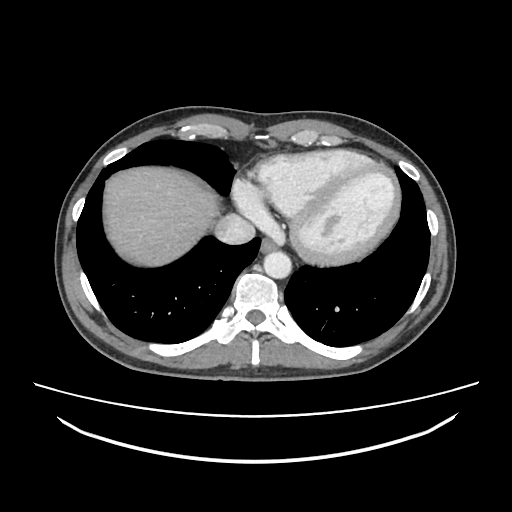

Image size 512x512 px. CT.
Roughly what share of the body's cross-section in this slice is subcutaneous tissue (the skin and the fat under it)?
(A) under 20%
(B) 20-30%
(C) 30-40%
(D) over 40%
(A) under 20%
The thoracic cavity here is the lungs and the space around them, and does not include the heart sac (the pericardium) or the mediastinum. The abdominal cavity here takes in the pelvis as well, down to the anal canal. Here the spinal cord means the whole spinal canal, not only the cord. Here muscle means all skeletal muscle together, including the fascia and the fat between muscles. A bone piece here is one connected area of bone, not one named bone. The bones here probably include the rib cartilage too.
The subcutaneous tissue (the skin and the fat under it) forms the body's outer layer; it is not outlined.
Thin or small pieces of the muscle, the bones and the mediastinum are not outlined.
The abdominal cavity is outlined by (143, 268) (159, 268) (175, 262) (199, 241) (210, 235) (218, 241) (233, 246) (246, 243) (255, 236) (260, 237) (256, 233) (257, 230) (235, 211) (228, 195) (219, 195) (209, 182) (184, 166) (133, 165) (116, 170) (105, 179) (101, 220) (107, 241) (117, 254) (128, 264). The pericardium is outlined by (320, 270) (361, 262) (387, 240) (397, 223) (398, 214) (401, 205) (402, 189) (396, 170) (384, 159) (372, 153) (349, 147) (296, 148) (267, 151) (257, 154) (246, 162) (234, 174) (229, 192) (233, 207) (244, 219) (258, 231) (280, 246) (292, 257) (306, 266) (313, 267). The muscle appears in 2 outlined pieces: piece 1: (254, 371) (257, 371) (258, 369) (264, 369) (266, 367) (277, 366) (278, 365) (290, 368) (330, 370) (331, 369) (343, 368) (355, 363) (359, 363) (376, 355) (383, 349) (392, 344) (402, 334) (418, 324) (437, 305) (443, 294) (443, 291) (445, 288) (447, 280) (448, 243) (446, 239) (446, 226) (445, 225) (444, 215) (442, 212) (440, 204) (437, 200) (437, 198) (426, 177) (416, 165) (408, 158) (394, 149) (378, 143) (367, 137) (355, 134) (346, 128) (339, 126) (334, 123) (318, 119) (307, 119) (306, 118) (305, 119) (297, 119) (277, 123) (266, 127) (258, 127) (254, 123) (246, 123) (238, 119) (219, 114) (211, 114) (210, 113) (196, 114) (178, 119) (171, 124) (159, 125) (149, 128) (117, 144) (114, 147) (108, 150) (98, 159) (86, 178) (81, 183) (73, 195) (67, 209) (64, 234) (63, 235) (63, 248) (62, 249) (61, 266) (62, 267) (62, 278) (66, 296) (75, 316) (80, 323) (96, 337) (109, 344) (115, 349) (127, 355) (144, 361) (149, 361) (163, 366) (167, 366) (172, 368) (180, 368) (181, 369) (207, 369) (223, 365) (227, 366) (229, 369) (232, 370) (248, 369), around holes outlined by (253, 365) (259, 363) (258, 337) (265, 333) (332, 359) (350, 359) (362, 352) (363, 342) (418, 307) (430, 286) (429, 244) (438, 231) (416, 183) (419, 173) (402, 160) (393, 166) (359, 142) (340, 145) (334, 136) (321, 137) (324, 146) (315, 148) (195, 142) (198, 135) (224, 137) (226, 129) (216, 124) (187, 125) (179, 138) (158, 136) (131, 152) (112, 150) (72, 210) (85, 296) (118, 329) (163, 357) (212, 340) (227, 344) (244, 332) (251, 338) and by (305, 145) (308, 145) (310, 144) (314, 140) (314, 139) (316, 138) (317, 136) (317, 134) (316, 132) (310, 129) (302, 129) (301, 130) (298, 130) (293, 135) (292, 135) (290, 137) (291, 140) (293, 142) (295, 143) (298, 143) (299, 144) (304, 144) and by (256, 139) (258, 139) (259, 138) (260, 138) (261, 139) (267, 139) (268, 138) (268, 135) (257, 135) (256, 136) (255, 136) (255, 138); piece 2: (217, 317) (219, 316) (221, 313) (221, 310) (225, 306) (233, 303) (233, 300) (235, 295) (235, 291) (236, 290) (236, 285) (247, 274) (246, 274) (244, 271) (243, 271) (237, 277) (236, 280) (234, 282) (227, 297) (225, 299) (224, 302) (222, 304) (221, 307) (215, 316). The bones appear in 9 outlined pieces: piece 1: (253, 365) (259, 363) (258, 337) (265, 333) (336, 360) (358, 355) (363, 346) (338, 348) (312, 339) (285, 304) (278, 304) (275, 283) (248, 274) (237, 285) (234, 303) (201, 334) (178, 344) (147, 347) (163, 357) (177, 356) (212, 340) (227, 344) (244, 332) (251, 338) with a hole at (254, 324) (257, 324) (258, 323) (259, 323) (264, 318) (264, 316) (263, 315) (263, 314) (261, 312) (260, 312) (259, 311) (257, 311) (256, 310) (254, 310) (253, 311) (251, 311) (250, 312) (249, 312) (248, 313) (248, 314) (247, 315) (247, 318) (252, 323) (253, 323); piece 2: (188, 140) (194, 140) (198, 135) (205, 135) (212, 138) (220, 138) (221, 137) (224, 137) (226, 134) (226, 129) (224, 127) (217, 125) (216, 124) (199, 124) (198, 125) (187, 125) (186, 126) (182, 127) (178, 131) (178, 135) (181, 138) (183, 139) (187, 139); piece 3: (404, 315) (408, 315) (412, 313) (418, 307) (418, 306) (426, 295) (428, 291) (428, 289) (430, 286) (430, 283) (431, 282) (431, 275) (428, 271) (427, 271) (423, 276) (423, 278) (418, 288) (418, 290) (415, 295) (415, 297) (411, 305) (409, 307) (409, 308); piece 4: (104, 317) (106, 317) (106, 315) (101, 308) (101, 307) (99, 305) (99, 303) (90, 286) (90, 284) (84, 272) (82, 270) (82, 269) (81, 269) (79, 272) (79, 280) (80, 281) (80, 284) (83, 290) (83, 292) (85, 296) (89, 301) (89, 302) (92, 305) (92, 306); piece 5: (305, 145) (308, 145) (310, 144) (314, 140) (314, 139) (316, 138) (317, 136) (317, 134) (316, 132) (310, 129) (302, 129) (301, 130) (298, 130) (293, 135) (292, 135) (290, 137) (291, 140) (293, 142) (295, 143) (298, 143) (299, 144) (304, 144); piece 6: (104, 167) (118, 160) (120, 158) (124, 156) (127, 153) (129, 152) (129, 150) (126, 147) (121, 147) (120, 148) (117, 148) (116, 149) (114, 149) (110, 152) (109, 152) (104, 157) (103, 159) (103, 161) (102, 163); piece 7: (430, 238) (433, 238) (436, 236) (436, 235) (437, 234) (437, 232) (438, 231) (438, 222) (437, 221) (437, 217) (436, 216) (435, 213) (432, 210) (431, 210) (430, 209) (426, 209) (426, 215) (427, 216) (427, 225) (428, 226) (428, 228) (429, 229) (429, 232) (430, 233); piece 8: (416, 182) (417, 182) (419, 180) (419, 173) (417, 171) (417, 170) (411, 164) (410, 164) (407, 162) (405, 162) (402, 160) (400, 160) (399, 161) (398, 161) (398, 162) (397, 163) (397, 165) (410, 178) (411, 178) (414, 181) (415, 181); piece 9: (76, 224) (79, 219) (79, 217) (81, 214) (81, 212) (82, 211) (82, 209) (83, 208) (83, 206) (84, 205) (84, 203) (85, 202) (85, 196) (83, 196) (79, 199) (78, 199) (76, 201) (76, 202) (73, 206) (73, 209) (72, 210) (72, 219) (73, 220) (73, 221). The spinal cord is outlined by (254, 324) (257, 324) (258, 323) (259, 323) (264, 318) (264, 316) (263, 315) (263, 314) (261, 312) (260, 312) (259, 311) (257, 311) (256, 310) (254, 310) (253, 311) (251, 311) (250, 312) (249, 312) (248, 313) (248, 314) (247, 315) (247, 318) (252, 323) (253, 323). The thoracic cavity appears in 2 outlined pieces: piece 1: (160, 343) (185, 341) (205, 330) (259, 244) (255, 237) (233, 247) (210, 236) (175, 263) (143, 269) (128, 265) (107, 243) (101, 193) (116, 169) (184, 165) (228, 194) (234, 173) (226, 157) (172, 135) (155, 137) (104, 168) (76, 228) (81, 266) (109, 320) (132, 337); piece 2: (338, 347) (362, 343) (391, 327) (410, 305) (426, 271) (430, 239) (426, 225) (425, 206) (417, 184) (397, 166) (394, 166) (403, 189) (401, 218) (388, 240) (361, 263) (323, 271) (309, 267) (302, 268) (297, 271) (284, 289) (284, 302) (300, 327) (312, 338) (327, 345). The mediastinum appears in 3 outlined pieces: piece 1: (283, 288) (286, 286) (296, 271) (298, 269) (305, 266) (292, 258) (287, 253) (281, 249) (280, 247) (257, 231) (257, 233) (261, 237) (260, 238) (259, 250) (249, 265) (243, 270) (244, 270) (246, 273) (256, 273) (258, 272) (267, 275) (269, 276) (276, 284) (281, 286); piece 2: (234, 172) (246, 161) (250, 159) (257, 153) (267, 150) (304, 147) (292, 144) (288, 144) (283, 142) (250, 142) (247, 143) (246, 142) (239, 142) (231, 140) (205, 140) (204, 141) (197, 141) (196, 142) (207, 143) (209, 145) (213, 146) (218, 150) (221, 151) (229, 160); piece 3: (395, 169) (395, 168) (385, 158) (359, 142) (356, 142) (355, 143) (349, 143) (345, 145) (337, 145) (336, 146) (325, 146) (349, 146) (350, 147) (354, 147) (355, 148) (362, 149) (366, 151) (369, 151) (384, 158). The torso is outlined by (242, 382) (313, 380) (365, 372) (411, 345) (445, 307) (453, 288) (457, 254) (448, 202) (423, 160) (378, 125) (325, 110) (263, 113) (208, 105) (174, 107) (145, 116) (110, 137) (91, 155) (69, 187) (57, 218) (53, 263) (61, 303) (81, 337) (104, 356) (135, 371).